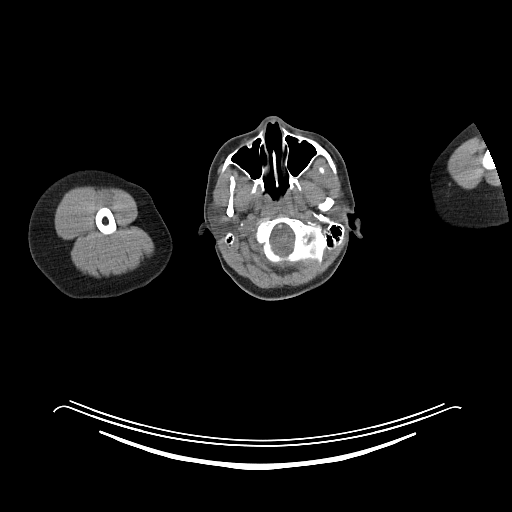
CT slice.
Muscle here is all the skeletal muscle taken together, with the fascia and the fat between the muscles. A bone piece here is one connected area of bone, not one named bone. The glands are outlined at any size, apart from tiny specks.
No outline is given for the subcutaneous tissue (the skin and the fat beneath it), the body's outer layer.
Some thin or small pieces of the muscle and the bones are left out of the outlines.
{"brain":[[[281,224],[284,224],[288,226],[290,228],[290,229],[293,233],[293,242],[292,243],[292,247],[291,248],[291,250],[287,253],[278,253],[272,248],[272,246],[270,242],[270,237],[271,236],[271,234],[274,228],[276,226],[280,226]]],"muscle":[{"outer":[[235,146],[225,157],[220,172],[222,174],[229,165],[233,165],[251,180],[251,194],[259,188],[274,199],[295,187],[301,191],[300,177],[319,156],[326,160],[336,176],[338,173],[336,164],[323,146],[335,156],[344,194],[338,196],[335,202],[331,196],[326,195],[317,204],[316,207],[320,212],[314,210],[311,213],[317,222],[312,220],[305,222],[286,214],[265,216],[256,222],[249,237],[272,264],[301,261],[315,261],[320,264],[326,250],[330,251],[342,246],[327,269],[309,282],[294,287],[264,289],[239,275],[225,261],[218,241],[223,237],[223,242],[232,246],[236,240],[233,233],[236,233],[239,227],[234,220],[224,217],[222,208],[213,200],[213,190],[220,159]],"hole":[[231,175],[232,175],[234,178],[234,180],[235,181],[235,186],[234,187],[234,192],[233,193],[233,209],[234,210],[234,213],[233,215],[230,217],[228,216],[226,213],[226,208],[229,201],[229,196],[230,195],[230,189],[229,187],[230,186],[230,176]]},{"outer":[[82,185],[118,187],[130,193],[135,199],[138,207],[139,225],[149,234],[155,245],[155,253],[151,257],[146,258],[136,269],[121,275],[94,278],[82,274],[72,264],[69,252],[64,246],[64,242],[56,235],[53,221],[54,212],[57,204],[67,190]],"hole":[[101,207],[107,207],[109,208],[109,209],[113,214],[113,217],[114,218],[114,220],[116,224],[116,229],[114,232],[110,234],[104,234],[102,233],[98,229],[96,225],[96,223],[95,222],[95,215],[98,209]]},[[478,134],[480,134],[482,136],[486,145],[486,149],[480,160],[481,165],[486,170],[496,169],[498,171],[500,185],[498,187],[487,186],[486,187],[477,187],[473,189],[464,189],[454,183],[449,176],[446,170],[447,161],[453,151],[461,143]]],"left_arm":[[[472,122],[474,123],[482,136],[486,147],[493,160],[495,168],[498,171],[499,180],[502,188],[507,210],[508,222],[499,226],[488,227],[483,229],[459,230],[447,226],[434,215],[432,211],[432,200],[430,195],[429,173],[434,160],[442,150],[461,130]]],"right_arm":[[[85,168],[106,170],[143,187],[152,197],[156,208],[170,231],[173,241],[173,251],[171,258],[159,276],[142,288],[113,298],[77,299],[65,295],[59,291],[38,269],[29,251],[27,237],[28,224],[32,210],[38,198],[48,186],[60,177],[70,172]]],"head":[{"outer":[[268,115],[316,132],[336,147],[355,203],[348,223],[352,227],[358,217],[362,233],[362,238],[349,235],[346,252],[326,282],[300,295],[271,301],[242,290],[221,267],[210,231],[206,229],[202,237],[198,234],[208,171],[216,152],[225,141],[252,130]],"holes":[[[269,123],[278,124],[281,132],[279,167],[282,175],[286,176],[288,183],[285,193],[275,198],[271,197],[265,189],[265,178],[267,178],[269,175],[271,159],[274,185],[276,187],[279,186],[277,153],[273,149],[270,155],[265,141],[266,128],[267,124]],[[287,137],[291,137],[295,139],[298,144],[305,142],[307,144],[311,146],[311,147],[313,148],[314,150],[314,153],[313,155],[311,156],[304,167],[296,175],[294,175],[290,171],[288,167],[288,161],[289,160],[289,155],[290,154],[290,147],[287,141]],[[257,140],[259,140],[257,151],[260,157],[261,156],[261,150],[262,151],[261,157],[263,159],[263,162],[261,164],[259,175],[254,178],[252,177],[247,170],[235,161],[233,158],[238,153],[241,148],[245,147],[248,149],[250,149],[252,147],[254,142]]]}],"parotid_glands":[[[212,201],[214,201],[221,208],[223,217],[225,219],[234,221],[236,223],[236,225],[238,227],[238,230],[236,232],[227,231],[221,238],[219,238],[216,235],[216,232],[211,227],[210,224],[208,222],[208,216],[207,215],[207,209],[210,206],[210,203]],[[342,195],[344,195],[346,197],[346,198],[348,200],[348,202],[350,206],[350,208],[348,210],[346,210],[342,213],[342,214],[345,217],[345,220],[343,222],[334,220],[330,217],[327,217],[325,215],[325,213],[336,202],[336,199],[338,197],[340,197]]],"bones":[{"outer":[[326,196],[331,197],[334,203],[322,213],[327,218],[345,225],[345,237],[342,245],[324,251],[320,263],[315,260],[272,263],[262,253],[255,240],[250,238],[257,222],[265,217],[286,215],[305,223],[307,221],[317,223],[312,213],[321,212],[317,206]],"hole":[[281,224],[284,224],[288,226],[290,228],[290,229],[293,233],[293,242],[292,243],[292,247],[291,248],[291,250],[287,253],[278,253],[272,248],[272,246],[270,242],[270,237],[271,236],[271,234],[274,228],[276,226],[280,226]]},{"outer":[[266,125],[264,141],[269,155],[271,155],[273,150],[276,153],[278,186],[275,185],[271,158],[268,175],[264,178],[265,191],[262,191],[258,187],[254,193],[251,193],[253,182],[241,170],[233,164],[229,164],[222,173],[221,169],[229,153],[257,134]],"hole":[[257,140],[259,140],[257,151],[260,157],[261,156],[261,150],[262,151],[261,157],[263,159],[263,162],[261,164],[259,175],[254,178],[252,177],[247,170],[235,161],[233,158],[238,153],[241,148],[245,147],[248,149],[250,149],[252,147],[254,142]]},{"outer":[[279,125],[293,133],[300,134],[318,142],[328,152],[335,164],[337,171],[336,175],[327,160],[323,156],[319,155],[313,160],[308,169],[299,177],[298,181],[301,190],[295,186],[286,192],[289,183],[287,176],[285,174],[283,175],[280,167],[282,132]],"hole":[[287,137],[291,137],[295,139],[298,144],[305,142],[307,144],[311,146],[311,147],[313,148],[314,150],[314,153],[313,155],[311,156],[304,167],[296,175],[294,175],[290,171],[288,167],[288,161],[289,160],[289,155],[290,154],[290,147],[287,141]]},[[101,207],[107,207],[109,208],[109,209],[113,214],[113,217],[114,218],[114,220],[116,224],[116,229],[114,232],[110,234],[104,234],[102,233],[98,229],[96,225],[96,223],[95,222],[95,215],[98,209]],[[231,175],[232,175],[234,178],[234,180],[235,181],[235,186],[234,187],[234,192],[233,193],[233,209],[234,210],[234,213],[233,215],[230,217],[228,216],[226,213],[226,208],[229,201],[229,196],[230,195],[230,189],[229,187],[230,186],[230,176]],[[487,148],[487,149],[489,151],[489,153],[490,154],[490,155],[493,160],[493,162],[495,165],[495,168],[494,168],[493,169],[486,169],[482,165],[482,163],[481,162],[481,160],[482,159],[482,157],[483,156],[483,155],[484,154],[485,151],[487,149]],[[227,232],[230,232],[231,233],[232,233],[234,235],[234,236],[235,237],[235,240],[234,241],[234,243],[232,245],[231,245],[230,244],[227,244],[226,243],[225,243],[224,242],[224,241],[223,240],[223,239],[224,238],[224,236],[226,234],[226,233]]]}